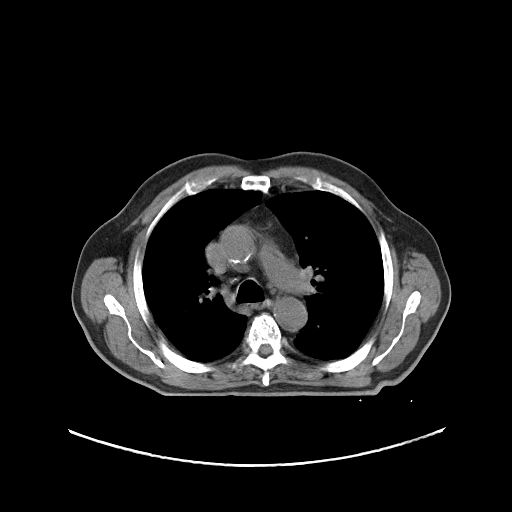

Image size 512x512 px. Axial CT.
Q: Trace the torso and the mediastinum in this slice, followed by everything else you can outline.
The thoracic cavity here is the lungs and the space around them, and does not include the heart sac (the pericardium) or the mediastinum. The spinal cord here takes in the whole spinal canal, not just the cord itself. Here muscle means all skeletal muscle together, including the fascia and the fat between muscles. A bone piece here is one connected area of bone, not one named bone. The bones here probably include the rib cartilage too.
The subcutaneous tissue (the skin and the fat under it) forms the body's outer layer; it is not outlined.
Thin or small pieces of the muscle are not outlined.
A: Outlines:
torso: 291,151 326,153 360,168 397,207 421,222 436,240 450,280 451,300 435,337 407,376 370,396 171,396 125,377 102,360 88,342 71,302 76,265 88,237 124,206 146,178 180,158 222,152 254,159
mediastinum: 274,186 299,189 276,193 265,201 290,234 299,258 297,279 305,300 307,321 292,340 293,346 268,312 254,315 248,325 245,314 231,309 224,302 220,281 210,272 205,257 208,243 245,211 259,204 263,194
bones 1: 263,312 272,316 282,335 299,353 294,356 291,363 279,363 271,368 269,370 269,385 266,386 263,385 263,371 259,367 253,364 247,364 237,371 228,366 228,363 235,357 233,354 240,347 251,320 254,316 with a hole at 263,344 268,344 271,347 271,348 272,349 272,351 271,352 271,353 270,353 269,354 268,354 267,355 265,355 264,356 263,355 261,355 259,353 259,348 260,347 260,346 261,345 262,345
bones 2: 210,175 218,175 217,180 212,183 207,188 195,194 188,195 176,202 159,219 151,231 151,233 146,243 145,242 145,234 146,231 150,223 168,199 175,192 176,192 185,183 185,182 190,181 199,176 209,176
bones 3: 162,338 165,338 165,341 167,345 171,349 190,360 196,362 200,362 201,363 209,363 212,362 215,367 215,370 209,371 208,372 203,372 202,373 193,373 192,372 187,372 179,369 173,365 161,353 157,342
bones 4: 371,337 374,337 374,342 371,346 369,350 369,352 367,354 366,357 352,369 346,370 345,371 340,371 339,372 327,372 326,371 322,371 319,369 319,366 322,362 339,360 349,356 352,354 364,342
bones 5: 381,229 384,231 385,237 387,240 391,257 391,261 392,262 392,266 393,267 392,292 389,304 385,312 383,311 384,307 383,306 384,305 383,303 384,271 383,270 383,261 382,260 381,249 378,240 378,235
bones 6: 137,250 139,250 139,258 142,260 141,275 142,276 143,292 148,309 151,315 151,319 149,320 149,327 145,324 144,321 142,319 140,312 137,307 137,304 135,300 134,290 133,289 133,264 134,263 134,259
bones 7: 107,293 111,294 123,307 125,315 130,324 132,337 139,345 145,349 150,350 156,357 159,358 165,365 165,368 159,367 148,355 139,350 133,344 128,337 127,325 123,318 119,315 111,314 105,305 103,298
bones 8: 297,175 305,175 310,178 313,178 315,176 319,176 323,180 328,181 332,184 342,188 361,206 364,211 364,213 358,209 353,204 338,195 327,191 313,189 311,188 307,183 304,183 299,180 295,179 295,177
bones 9: 415,290 417,290 420,293 421,296 420,300 415,311 408,314 406,316 402,334 389,352 375,365 372,365 371,363 373,359 376,356 382,353 390,345 393,339 398,334 401,327 403,310 405,307 406,300 409,295
bones 10: 252,174 263,174 264,175 267,175 270,178 270,183 271,184 271,187 268,190 268,192 267,193 263,193 259,190 245,190 244,189 242,189 239,186 241,182 241,179 244,176 246,175 251,175
thoracic cavity 1: 300,189 327,192 353,205 365,215 379,244 383,271 381,305 361,344 352,353 339,359 321,361 300,354 294,347 293,340 308,321 306,300 298,279 300,258 291,234 276,214 267,206 266,201 276,194 294,192
thoracic cavity 2: 219,186 259,191 262,195 259,203 245,210 221,229 204,248 209,272 219,281 219,294 223,302 231,310 246,316 247,328 239,347 231,355 201,362 174,350 157,326 146,300 142,268 147,242 160,219 180,200
muscle 1: 223,164 253,173 244,175 238,186 209,187 218,174 185,181 149,223 143,259 137,249 132,264 136,307 144,324 149,328 152,318 163,335 156,343 173,366 187,373 208,373 216,370 213,362 234,355 227,363 232,370 253,365 262,371 263,386 188,389 142,373 111,353 82,307 81,281 96,258 111,256 127,265 138,226 128,227 159,192 193,170, around a hole outlined by 107,293 111,294 123,307 125,315 130,324 132,337 139,345 145,349 150,350 156,357 159,358 165,365 165,368 159,367 148,355 139,350 133,344 128,337 127,325 123,318 119,315 111,314 105,305 103,298
muscle 2: 386,234 398,258 404,248 423,253 440,282 439,305 414,348 368,387 270,384 270,370 291,364 298,355 320,361 318,369 327,373 352,370 367,357 375,337 363,341 382,303 382,311 387,311 393,292 394,267; inner edge: 415,290 417,290 420,293 421,296 420,300 415,311 408,314 406,316 402,334 389,352 375,365 372,365 371,363 373,359 376,356 382,353 390,345 393,339 398,334 401,327 403,310 405,307 406,300 409,295
muscle 3: 287,165 316,168 345,181 375,205 380,212 377,213 377,216 383,229 379,230 377,236 362,206 342,187 319,175 310,177 297,174 294,177 295,180 307,184 310,188 306,189 292,185 272,186 271,178 261,173
spinal cord: 263,344 268,344 271,347 271,348 272,349 272,351 271,352 271,353 270,353 269,354 268,354 267,355 265,355 264,356 263,355 261,355 259,353 259,348 260,347 260,346 261,345 262,345